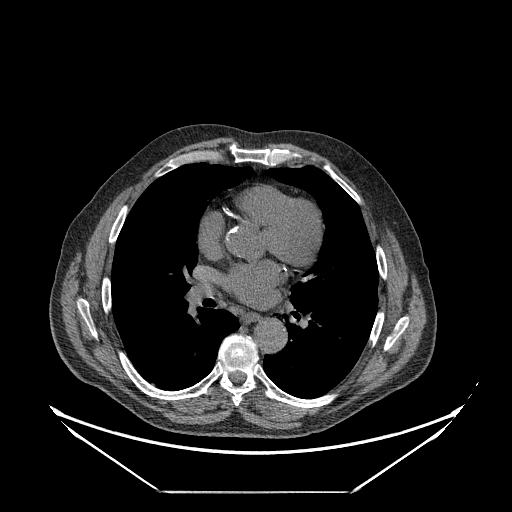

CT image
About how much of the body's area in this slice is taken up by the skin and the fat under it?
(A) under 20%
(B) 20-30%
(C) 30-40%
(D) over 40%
(A) under 20%
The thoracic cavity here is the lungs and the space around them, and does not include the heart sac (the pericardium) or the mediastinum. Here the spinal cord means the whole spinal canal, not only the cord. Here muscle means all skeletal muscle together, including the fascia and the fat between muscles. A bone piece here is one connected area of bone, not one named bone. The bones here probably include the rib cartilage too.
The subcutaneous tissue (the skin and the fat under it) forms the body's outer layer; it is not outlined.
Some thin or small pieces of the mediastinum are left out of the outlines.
The muscle is outlined by 218,137 232,137 241,145 251,145 252,146 264,146 268,143 291,143 302,148 313,151 327,158 355,184 364,199 377,212 380,217 385,221 388,227 393,232 399,244 405,262 411,271 415,274 417,282 421,289 421,292 423,295 425,303 426,322 422,332 420,342 413,356 397,375 383,386 372,391 364,396 363,398 326,416 304,423 299,426 290,429 274,429 273,428 272,429 271,428 262,427 246,421 236,411 234,411 223,420 214,423 188,424 187,423 177,423 171,421 166,417 158,414 153,410 144,406 135,399 132,398 128,394 119,389 110,381 106,379 88,365 77,353 72,343 68,338 68,335 65,330 65,326 62,318 62,306 60,302 60,296 61,295 62,282 64,279 65,274 76,253 81,249 91,233 95,229 96,225 100,219 100,217 114,198 122,190 139,178 155,163 165,158 174,151 189,144 196,143 204,140 209,140; inner edges: 233,142 242,148 276,147 299,152 303,157 292,159 288,164 313,165 321,169 328,163 362,200 359,207 370,241 374,248 379,244 384,251 387,276 385,280 379,279 377,288 378,308 384,310 379,336 373,347 364,347 351,370 331,390 337,391 338,396 328,404 297,407 268,398 264,394 264,387 259,384 245,392 235,406 232,393 220,387 217,382 211,385 209,394 175,400 156,398 134,384 119,359 117,350 124,348 112,312 104,312 101,285 103,277 111,275 115,245 110,244 108,239 120,208 126,204 130,209 155,179 154,173 170,159 194,150 225,149, then 80,297 84,298 87,300 89,303 90,313 91,314 92,319 94,322 95,328 96,329 96,331 98,335 98,338 99,339 97,341 95,340 91,335 85,321 78,311 78,308 77,307 76,301 77,299, then 405,315 407,315 409,317 409,322 408,323 408,325 406,327 404,331 401,334 401,335 396,340 393,345 387,351 384,351 383,350 383,346 384,345 384,343 387,336 392,332 393,328 398,319 402,316 404,316. The bones appear in 9 outlined pieces: piece 1: 232,333 251,337 263,370 283,391 304,399 331,391 338,396 322,406 301,408 268,398 261,384 245,392 237,406 232,393 217,382 209,394 182,399 144,393 123,368 118,349 146,381 175,391 211,371 223,339 with a hole at 235,371 240,371 241,372 242,372 245,374 245,379 243,382 242,382 239,384 236,384 235,383 234,383 229,378 229,375 230,374 230,373 231,373 232,372 234,372; piece 2: 233,142 235,142 238,147 242,148 287,148 301,153 303,155 301,159 292,159 275,166 258,162 235,163 231,160 229,162 216,163 197,161 182,164 159,177 154,178 153,176 165,163 180,154 194,150 225,149; piece 3: 80,297 84,298 87,300 89,303 90,313 91,314 92,319 94,322 95,328 96,329 96,331 98,335 98,338 99,339 97,341 95,340 91,335 85,321 78,311 78,308 77,307 76,301 77,299; piece 4: 325,163 328,163 330,165 330,166 331,167 331,168 341,178 342,178 358,194 358,195 360,197 360,198 362,200 362,202 363,203 362,204 362,205 359,205 323,169 322,169 322,166; piece 5: 405,315 407,315 409,317 409,322 408,323 408,325 406,327 404,331 401,334 401,335 396,340 393,345 387,351 384,351 383,350 383,346 384,345 384,343 387,336 392,332 393,328 398,319 402,316 404,316; piece 6: 124,204 126,204 128,206 129,210 126,215 126,217 124,220 124,222 118,234 118,236 116,239 116,241 115,243 113,245 112,245 110,244 108,241 110,230 111,229 112,224 114,220 116,218 120,208; piece 7: 382,308 384,310 384,320 383,321 383,324 375,345 373,347 370,347 366,345 367,344 367,342 368,341 368,339 369,338 369,336 370,335 370,333 375,320 375,317 376,316 377,311 379,309 381,309; piece 8: 105,275 106,275 107,276 108,276 110,279 110,291 111,292 111,310 108,313 108,314 105,314 105,313 104,312 104,310 103,309 103,307 102,306 102,301 101,300 101,285 102,284 102,279 103,278 103,277; piece 9: 377,244 379,244 382,247 384,251 384,253 385,254 385,257 386,258 386,263 387,264 387,276 385,280 382,280 380,278 379,272 378,271 378,265 377,264 377,260 376,259 376,256 375,255 375,247. The thoracic cavity appears in 2 outlined pieces: piece 1: 197,162 249,166 252,170 241,182 209,201 195,236 195,269 201,285 215,301 215,307 230,312 239,326 222,339 215,362 205,376 187,387 169,390 146,380 125,352 111,311 110,276 115,244 139,196 155,179; piece 2: 303,165 323,170 359,206 374,248 379,276 378,309 357,361 335,387 312,398 298,397 283,390 262,365 265,355 277,354 289,340 284,310 290,301 293,285 315,263 323,242 325,225 313,198 267,172 274,167. The spinal cord is outlined by 235,371 240,371 241,372 242,372 245,374 245,379 243,382 242,382 239,384 236,384 235,383 234,383 229,378 229,375 230,374 230,373 231,373 232,372 234,372. The mediastinum appears in 2 outlined pieces: piece 1: 294,282 290,290 289,301 282,313 288,340 277,353 265,354 261,363 257,346 252,337 234,332 240,326 238,318 227,309 216,307 216,301 202,285 230,304 247,310 265,312 277,308 284,301; piece 2: 231,161 235,164 238,163 258,163 265,166 273,167 269,168 266,172 269,176 277,181 271,179 259,179 258,178 257,179 249,179 242,182 251,175 253,172 252,168 249,165 234,166 224,164 222,163 229,163. The torso is outlined by 198,123 224,124 254,132 299,129 327,134 351,146 377,169 415,228 433,290 436,341 431,360 419,377 328,429 302,437 274,439 187,435 154,427 68,369 52,339 48,307 69,224 101,184 142,147 166,131. The pericardium is outlined by 258,179 282,183 305,192 318,207 324,225 322,242 314,263 303,272 301,279 291,284 285,298 277,307 265,311 240,307 220,297 202,283 200,273 196,267 198,261 196,239 198,225 209,204 226,190 240,183.